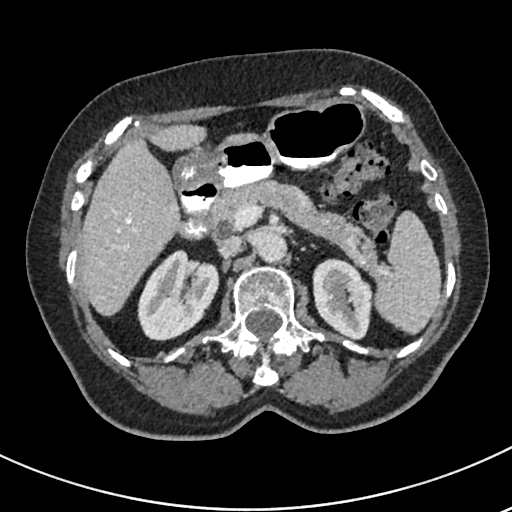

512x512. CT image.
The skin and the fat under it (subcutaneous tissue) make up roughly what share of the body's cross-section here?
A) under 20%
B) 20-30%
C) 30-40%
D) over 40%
B) 20-30%
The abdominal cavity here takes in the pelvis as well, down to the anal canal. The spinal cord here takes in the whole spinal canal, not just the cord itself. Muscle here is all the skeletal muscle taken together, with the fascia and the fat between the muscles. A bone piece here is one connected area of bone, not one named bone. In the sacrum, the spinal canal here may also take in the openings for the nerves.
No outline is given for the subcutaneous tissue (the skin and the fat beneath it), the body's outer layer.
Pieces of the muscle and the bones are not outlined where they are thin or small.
Outlines (x, y in pixels):
spinal cord: 262,310 271,310 275,313 276,313 281,318 281,324 280,326 271,335 271,336 267,340 267,342 266,343 263,343 261,341 260,341 260,339 254,333 250,331 246,326 246,318 248,316 248,315 252,312 259,312
torso: 311,47 379,59 411,78 433,104 474,176 487,217 489,280 475,323 421,399 363,429 319,433 266,410 229,435 205,440 153,439 112,425 86,401 52,342 26,274 26,229 58,139 88,101 128,77 214,56
bones 1: 256,266 287,271 294,286 295,318 325,337 323,341 311,340 307,352 271,353 269,364 278,380 269,386 252,380 261,363 258,351 252,357 239,358 231,351 222,352 218,341 201,341 232,324 233,285 242,272 with a hole at 262,310 271,310 275,313 276,313 281,318 281,324 280,326 271,335 271,336 267,340 267,342 266,343 263,343 261,341 260,341 260,339 254,333 250,331 246,326 246,318 248,316 248,315 252,312 259,312
bones 2: 342,86 349,86 357,90 359,90 361,87 369,88 371,90 382,96 390,104 394,105 400,109 403,113 403,115 405,118 405,121 402,123 391,121 377,107 358,93 355,95 342,95 340,94 339,93 339,90
bones 3: 126,115 132,115 133,116 132,120 133,121 137,120 138,121 138,123 135,125 131,123 116,139 113,140 112,142 111,142 107,146 106,146 104,143 104,139 105,138 106,134 117,122 118,122 124,116
bones 4: 73,248 76,248 75,249 75,273 74,274 74,282 75,283 75,287 74,288 72,288 71,287 70,287 70,286 67,283 67,281 66,280 66,263 67,262 67,257 68,256 68,255 69,254 70,251
bones 5: 449,260 452,261 454,265 454,268 455,269 455,282 454,283 454,286 453,287 453,289 452,290 452,293 451,295 448,298 446,298 445,296 445,292 446,291 446,277 447,276 447,262
bones 6: 89,158 90,158 93,161 91,164 91,166 89,170 90,174 88,175 87,179 84,182 83,182 81,184 79,184 77,183 75,180 75,174 76,173 76,171 78,169 78,168 84,162 85,162 87,159
bones 7: 421,335 423,335 423,339 422,340 419,347 416,350 415,350 413,352 411,352 409,354 408,354 403,357 401,357 400,358 397,358 395,356 396,355 396,354 400,350 400,349 402,347 403,347 408,343 415,340
bones 8: 423,158 424,159 425,159 426,160 427,160 430,163 430,164 435,169 435,170 437,173 437,178 434,181 432,181 431,180 429,180 427,178 426,178 422,174 422,170 421,169 421,165 420,164 420,160
bones 9: 180,346 183,346 184,347 185,347 185,348 186,349 185,352 184,353 179,355 172,361 169,361 168,362 164,362 159,357 158,357 158,354 160,352 164,352 165,353 167,353 170,351 173,351 175,349 176,349
bones 10: 345,339 346,340 351,341 354,343 359,344 362,346 367,346 368,347 370,347 371,348 371,349 370,350 370,351 367,354 362,354 361,353 358,353 357,352 352,351 351,350 346,348 341,344 341,342
bones 11: 108,346 110,346 112,348 113,348 114,349 115,349 116,350 119,351 123,355 124,355 128,359 129,359 131,362 131,365 128,367 127,366 124,366 123,365 121,365 114,358 113,358 107,351 107,347
bones 12: 435,191 436,191 437,192 438,192 442,196 442,197 443,198 443,199 445,201 445,203 446,204 446,205 448,208 448,212 446,214 443,214 436,207 436,206 434,203 434,200 433,199 433,193
abdominal cavity: 341,96 360,96 394,122 429,184 445,280 423,333 396,348 344,339 308,312 304,283 294,285 282,266 256,265 239,274 231,297 224,293 212,327 152,358 116,349 76,277 84,187 106,147 139,121 188,122
muscle: 338,81 369,87 342,85 340,96 204,119 140,123 124,115 105,134 105,148 75,171 75,182 85,183 69,203 73,212 82,209 76,247 66,257 66,283 74,289 75,274 85,306 115,348 108,345 106,351 128,368 130,359 157,357 168,363 184,354 182,344 220,319 229,290 231,324 200,341 218,342 222,353 239,359 258,352 260,363 251,380 272,386 279,376 271,354 307,353 311,341 326,340 295,316 296,279 307,288 307,312 320,327 341,336 346,349 367,355 372,348 400,348 397,359 413,353 445,281 446,299 456,282 452,260 446,262 446,276 437,210 446,215 449,208 438,191 432,196 426,179 434,182 436,169 427,159 419,160 393,123 406,121 403,111 377,91 409,114 443,169 458,210 462,277 447,328 380,395 349,410 306,407 266,387 212,416 162,407 100,360 75,324 56,234 69,169 104,128 129,111 248,105